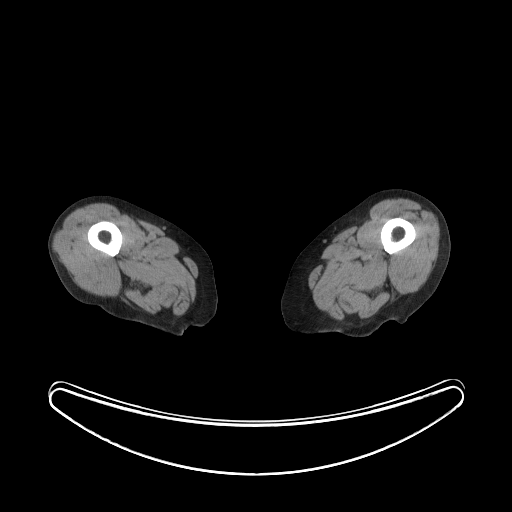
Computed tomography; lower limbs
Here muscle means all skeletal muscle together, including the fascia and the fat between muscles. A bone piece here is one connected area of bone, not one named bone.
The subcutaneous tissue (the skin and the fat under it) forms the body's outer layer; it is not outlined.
left leg: 389,188 407,189 426,197 438,207 445,218 451,241 450,256 443,276 434,293 404,323 400,324 389,320 366,337 352,337 337,332 308,335 291,330 285,324 282,316 281,296 289,272 297,256 334,220 372,193
bones 1: 393,217 402,217 406,220 411,222 415,226 415,229 416,230 416,237 415,239 407,247 406,247 401,251 397,253 394,253 393,254 389,254 385,251 381,243 381,241 380,240 380,230 385,220 388,218 392,218
bones 2: 101,220 107,220 108,221 111,221 115,223 122,233 122,235 123,236 122,245 120,248 120,250 119,252 114,256 109,256 105,253 99,250 97,250 89,243 87,239 87,231 89,227 94,223 98,221 100,221
right leg: 91,195 115,196 144,208 181,228 206,251 213,266 218,299 216,313 206,325 202,327 190,326 181,336 174,336 138,322 120,319 96,305 82,303 66,290 50,259 47,245 48,236 55,220 65,208 73,202
muscle 1: 94,202 112,204 128,214 135,215 161,227 193,258 198,270 195,281 196,296 191,309 180,319 168,322 160,317 142,313 118,298 101,297 91,294 73,282 66,268 55,255 52,248 53,237 68,214 78,207, around a hole outlined by 101,220 107,220 108,221 111,221 115,223 122,233 122,235 123,236 122,245 120,248 120,250 119,252 114,256 109,256 105,253 99,250 97,250 89,243 87,239 87,231 89,227 94,223 98,221 100,221
muscle 2: 397,197 408,198 428,207 438,220 440,230 438,256 428,279 417,292 405,295 393,302 367,325 349,326 330,318 319,310 313,301 308,285 310,272 316,266 325,247 336,234 355,224 366,210 375,203 386,198 with a hole at 393,217 402,217 406,220 411,222 415,226 415,229 416,230 416,237 415,239 407,247 406,247 401,251 397,253 394,253 393,254 389,254 385,251 381,243 381,241 380,240 380,230 385,220 388,218 392,218